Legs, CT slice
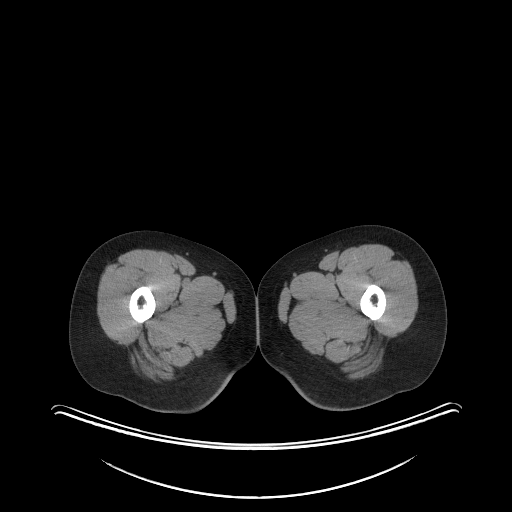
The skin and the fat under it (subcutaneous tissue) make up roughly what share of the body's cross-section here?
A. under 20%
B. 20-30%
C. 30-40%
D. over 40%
D. over 40%
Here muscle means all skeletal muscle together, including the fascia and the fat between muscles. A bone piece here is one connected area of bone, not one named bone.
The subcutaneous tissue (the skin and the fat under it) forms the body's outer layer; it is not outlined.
Outlines (x, y in pixels):
left leg: [[361,224],[380,224],[396,228],[411,236],[427,252],[438,272],[445,295],[447,308],[446,339],[436,367],[430,376],[418,387],[362,408],[347,411],[329,411],[317,408],[308,403],[263,358],[260,351],[260,317],[256,292],[265,272],[290,250],[333,231]]
bones 1: [[143,285],[149,285],[151,286],[151,290],[155,299],[155,310],[153,314],[148,319],[140,323],[139,322],[137,322],[131,316],[130,312],[129,311],[129,308],[128,307],[128,303],[129,302],[129,297],[131,293],[136,288],[140,286],[142,286]]
bones 2: [[367,284],[376,284],[378,285],[384,291],[385,293],[385,297],[386,298],[386,304],[385,305],[385,309],[382,315],[379,318],[379,319],[377,320],[372,320],[366,315],[365,315],[361,311],[360,309],[360,306],[359,305],[360,297],[363,293]]
muscle 1: [[357,243],[380,243],[386,245],[409,262],[417,285],[418,309],[409,327],[389,342],[383,356],[381,368],[367,378],[350,381],[336,376],[324,363],[318,361],[292,339],[278,317],[277,306],[280,292],[284,284],[294,272],[296,273],[318,261],[331,251]]; inner edge: [[367,284],[376,284],[378,285],[384,291],[385,293],[385,297],[386,298],[386,304],[385,305],[385,309],[382,315],[379,318],[379,319],[377,320],[372,320],[366,315],[365,315],[361,311],[360,309],[360,306],[359,305],[360,297],[363,293]]
muscle 2: [[135,248],[165,250],[170,253],[182,255],[193,264],[220,280],[232,291],[234,296],[236,320],[231,330],[209,355],[187,368],[176,380],[164,384],[144,380],[135,373],[129,362],[126,351],[106,336],[101,328],[96,313],[97,288],[104,268],[112,259]] with a hole at [[143,285],[149,285],[151,286],[151,290],[155,299],[155,310],[153,314],[148,319],[140,323],[139,322],[137,322],[131,316],[130,312],[129,311],[129,308],[128,307],[128,303],[129,302],[129,297],[131,293],[136,288],[140,286],[142,286]]
right leg: [[144,229],[172,233],[219,251],[245,272],[256,294],[259,317],[259,349],[256,349],[251,360],[231,378],[221,393],[206,407],[195,413],[157,412],[121,397],[98,391],[81,377],[70,354],[68,343],[70,304],[84,262],[92,251],[104,241],[124,232]]